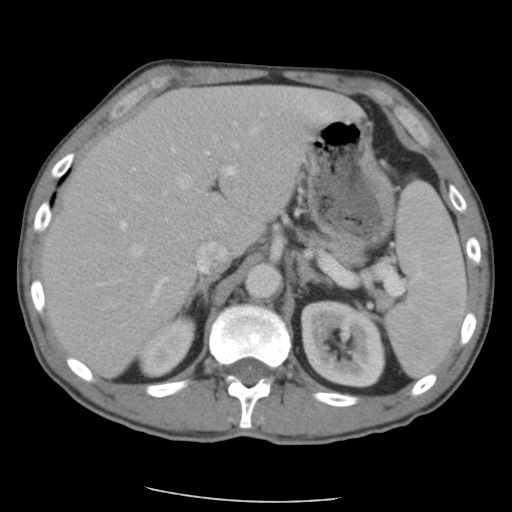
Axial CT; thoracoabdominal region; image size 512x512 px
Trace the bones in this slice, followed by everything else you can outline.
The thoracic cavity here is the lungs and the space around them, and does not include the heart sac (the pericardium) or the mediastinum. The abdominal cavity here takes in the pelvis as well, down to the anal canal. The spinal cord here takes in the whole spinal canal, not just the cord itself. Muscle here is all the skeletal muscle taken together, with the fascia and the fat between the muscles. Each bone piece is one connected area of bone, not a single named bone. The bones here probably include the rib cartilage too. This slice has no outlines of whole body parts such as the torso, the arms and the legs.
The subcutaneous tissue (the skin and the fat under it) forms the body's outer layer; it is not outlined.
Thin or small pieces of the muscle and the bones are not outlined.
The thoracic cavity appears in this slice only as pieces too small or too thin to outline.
The bones appear in 13 outlined pieces: piece 1: 243 303; 263 305; 275 311; 284 321; 291 341; 286 359; 271 371; 251 356; 240 358; 228 367; 247 387; 269 374; 272 378; 269 394; 253 406; 249 428; 239 426; 241 404; 227 391; 228 370; 209 351; 210 330; 218 313; 230 305; piece 2: 161 76; 167 76; 168 77; 168 80; 162 86; 157 88; 150 87; 148 91; 132 105; 125 113; 115 119; 109 119; 109 112; 118 100; 130 91; 137 88; 139 86; 141 86; 144 84; 147 84; 151 79; 155 77; 160 77; piece 3: 395 104; 397 104; 398 105; 401 105; 407 108; 419 120; 419 121; 429 135; 429 137; 430 138; 430 143; 428 147; 424 147; 422 146; 414 138; 414 137; 410 133; 408 129; 398 119; 398 118; 395 115; 393 111; 393 106; piece 4: 317 391; 322 391; 323 392; 333 392; 334 391; 335 392; 339 392; 340 393; 345 393; 346 394; 355 395; 357 396; 359 399; 355 404; 353 404; 352 405; 349 405; 348 406; 334 406; 333 405; 330 405; 317 400; 313 396; 313 393; piece 5: 184 379; 188 379; 189 381; 187 386; 173 394; 170 394; 169 395; 166 395; 161 397; 155 397; 154 396; 151 396; 147 394; 145 391; 145 387; 146 385; 148 384; 156 384; 157 383; 163 383; 164 382; 172 382; 173 381; 179 381; piece 6: 46 200; 49 200; 50 201; 50 206; 51 207; 51 217; 45 229; 42 232; 38 232; 34 230; 33 228; 33 222; 34 221; 35 214; 38 208; 40 206; 40 205; 44 201; piece 7: 468 312; 472 312; 475 315; 475 317; 476 318; 476 324; 475 325; 475 328; 474 329; 474 331; 472 335; 470 337; 469 340; 465 344; 461 344; 460 342; 460 330; 461 329; 461 327; 462 326; 462 323; 464 320; 464 318; 466 314; piece 8: 70 356; 77 359; 80 362; 84 364; 90 370; 90 371; 93 375; 93 381; 91 381; 90 382; 89 381; 87 381; 81 378; 78 375; 77 375; 74 372; 72 371; 72 370; 68 366; 66 362; 66 359; 67 357; 69 357; piece 9: 35 279; 38 279; 40 281; 41 283; 41 286; 42 287; 42 290; 43 291; 43 296; 44 297; 44 307; 41 313; 39 313; 35 308; 34 304; 32 301; 32 298; 31 297; 31 293; 30 292; 30 287; 31 286; 31 283; 32 281; piece 10: 71 152; 74 153; 75 154; 75 155; 74 156; 74 158; 73 159; 73 161; 72 162; 70 167; 67 170; 67 171; 60 178; 55 178; 54 177; 53 177; 51 175; 51 170; 52 169; 53 166; 61 158; 62 158; 65 155; 66 155; piece 11: 430 373; 434 373; 436 375; 436 380; 433 384; 433 385; 426 391; 425 391; 418 395; 415 395; 414 396; 413 395; 412 395; 410 392; 411 391; 411 389; 412 388; 414 383; 415 383; 419 379; 422 378; 424 376; 425 376; piece 12: 471 236; 474 236; 477 239; 479 243; 479 246; 480 247; 480 250; 481 251; 481 257; 480 258; 480 261; 478 264; 476 264; 474 263; 467 256; 466 254; 466 250; 465 249; 465 245; 466 244; 466 241; 467 239; piece 13: 450 183; 451 184; 453 184; 454 185; 454 186; 462 195; 462 196; 465 200; 465 202; 466 203; 466 209; 463 212; 460 212; 456 209; 455 209; 455 208; 452 205; 452 204; 448 197; 448 184; 449 184. The abdominal cavity is outlined by 271 74; 369 95; 401 140; 435 168; 467 264; 467 305; 453 347; 433 372; 393 393; 335 391; 302 368; 275 310; 243 302; 217 313; 207 353; 169 381; 113 383; 94 375; 58 339; 39 279; 40 246; 58 182; 84 144; 154 93. The spinal cord is outlined by 248 357; 251 357; 257 360; 259 360; 265 364; 269 369; 269 373; 267 376; 260 378; 256 383; 251 386; 247 386; 245 385; 238 378; 237 378; 230 372; 230 369; 229 368; 230 365; 236 361; 240 359; 242 359; 243 358; 247 358. The muscle is outlined by 164 64; 170 64; 178 66; 213 66; 222 68; 248 68; 249 69; 260 69; 261 70; 270 70; 271 71; 287 71; 288 70; 292 71; 309 71; 310 72; 324 72; 325 73; 340 74; 348 76; 371 77; 379 80; 382 80; 396 88; 430 122; 452 156; 476 202; 487 240; 487 257; 488 258; 488 267; 489 268; 489 286; 485 303; 484 320; 480 334; 476 341; 472 352; 461 372; 453 382; 433 401; 423 407; 421 407; 400 418; 394 420; 363 427; 351 431; 346 431; 341 433; 336 433; 323 436; 307 437; 304 435; 273 434; 272 433; 263 432; 259 430; 258 431; 250 429; 238 429; 237 430; 226 430; 225 431; 203 431; 202 430; 174 431; 156 427; 130 419; 96 404; 88 398; 85 397; 77 389; 63 379; 48 364; 41 352; 31 324; 30 317; 24 298; 24 289; 22 280; 23 245; 24 244; 24 238; 27 226; 27 216; 33 193; 45 168; 52 157; 77 128; 131 80; 142 72; 150 68; inner edges: 271 74; 369 95; 401 140; 435 168; 463 245; 474 236; 481 251; 478 264; 466 257; 465 313; 476 318; 469 340; 461 344; 457 338; 426 391; 414 396; 410 383; 393 393; 357 394; 358 401; 348 406; 317 400; 314 392; 334 391; 313 379; 290 350; 269 372; 270 392; 254 404; 249 428; 239 426; 241 404; 227 391; 228 370; 209 351; 169 380; 188 379; 186 387; 161 397; 147 394; 143 383; 81 378; 68 366; 70 354; 46 309; 37 311; 30 292; 32 281; 40 278; 44 237; 33 222; 60 179; 51 175; 53 166; 118 120; 109 119; 117 101; 155 77; 168 80; 150 87; 138 103; 182 84, then 395 104; 397 104; 398 105; 401 105; 407 108; 419 120; 419 121; 429 135; 429 137; 430 138; 430 143; 428 147; 424 147; 422 146; 414 138; 414 137; 410 133; 408 129; 398 119; 398 118; 395 115; 393 111; 393 106, then 450 183; 451 184; 453 184; 454 185; 454 186; 462 195; 462 196; 465 200; 465 202; 466 203; 466 209; 463 212; 460 212; 456 209; 455 209; 455 208; 452 205; 452 204; 448 197; 448 184; 449 184, then 374 89; 376 89; 377 90; 379 90; 380 91; 382 91; 384 93; 385 93; 387 95; 388 95; 390 97; 391 97; 393 100; 393 102; 390 104; 389 103; 387 103; 386 102; 386 101; 384 99; 383 99; 381 97; 380 97; 373 90.